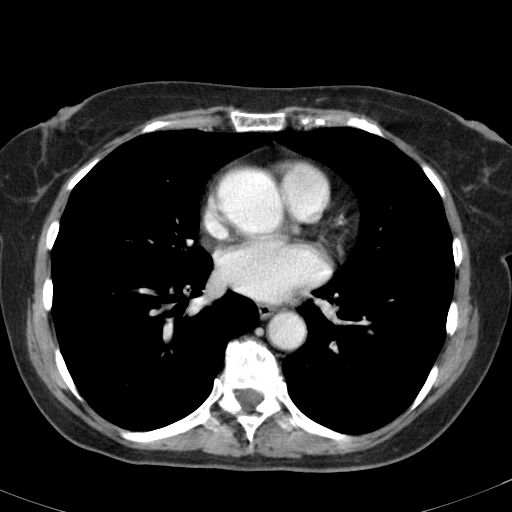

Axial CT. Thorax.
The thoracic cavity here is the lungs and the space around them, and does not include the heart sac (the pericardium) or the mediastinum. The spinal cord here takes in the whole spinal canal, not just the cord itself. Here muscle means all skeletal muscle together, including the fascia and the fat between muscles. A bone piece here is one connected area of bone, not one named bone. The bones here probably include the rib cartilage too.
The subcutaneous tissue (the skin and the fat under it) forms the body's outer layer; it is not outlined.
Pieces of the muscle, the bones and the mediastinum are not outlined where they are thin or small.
{"torso":[[[154,80],[260,87],[383,87],[428,99],[466,119],[482,122],[511,144],[511,255],[506,258],[511,306],[485,377],[433,442],[397,462],[354,471],[176,467],[132,464],[84,449],[63,437],[43,416],[18,373],[0,309],[0,148],[63,106],[110,87]]],"pericardium":[[[266,148],[284,148],[330,168],[350,184],[358,200],[360,210],[356,241],[346,259],[338,266],[330,279],[310,291],[307,295],[292,303],[283,305],[258,303],[226,287],[213,273],[213,259],[202,245],[199,231],[200,210],[207,189],[215,176],[235,160]]],"spinal_cord":[[[244,389],[252,389],[258,392],[260,394],[261,394],[262,396],[262,399],[261,401],[258,404],[257,404],[254,407],[253,410],[251,411],[245,411],[241,406],[240,403],[237,400],[237,398],[236,397],[237,392],[240,390],[243,390]]],"bones":[{"outer":[[236,338],[259,342],[274,355],[291,400],[305,415],[357,438],[339,442],[300,427],[288,431],[272,415],[256,428],[250,453],[243,426],[217,406],[216,430],[200,424],[150,442],[123,438],[118,428],[150,431],[194,411],[211,392],[227,344]],"hole":[[244,389],[252,389],[258,392],[260,394],[261,394],[262,396],[262,399],[261,401],[258,404],[257,404],[254,407],[253,410],[251,411],[245,411],[241,406],[240,403],[237,400],[237,398],[236,397],[237,392],[240,390],[243,390]]},[[228,108],[233,108],[242,112],[249,112],[250,113],[279,112],[286,109],[289,109],[290,111],[286,118],[287,124],[285,128],[282,130],[279,130],[278,131],[243,131],[242,132],[236,132],[234,131],[230,122],[230,120],[227,115],[227,109]],[[299,114],[309,114],[316,116],[320,116],[325,114],[341,114],[345,116],[353,116],[354,117],[365,118],[368,121],[374,123],[383,133],[384,137],[381,137],[363,129],[347,125],[328,125],[327,126],[314,127],[310,129],[305,129],[298,122],[297,116]],[[195,116],[203,116],[204,117],[211,118],[215,121],[216,123],[215,124],[199,125],[197,127],[186,127],[185,128],[175,128],[174,129],[160,129],[147,133],[143,133],[142,134],[140,133],[141,129],[146,124],[155,120],[171,120],[172,119],[194,117]],[[55,346],[58,346],[59,347],[60,352],[62,355],[62,357],[64,360],[66,367],[75,384],[75,386],[78,392],[84,399],[84,402],[81,402],[72,393],[70,389],[67,386],[61,377],[58,371],[58,369],[55,362],[55,357],[54,356],[54,347]],[[434,363],[436,363],[438,365],[438,374],[437,375],[437,377],[435,381],[433,383],[428,393],[420,402],[420,403],[411,411],[406,413],[406,411],[407,409],[413,402],[417,394],[419,392],[422,386],[424,384],[428,376],[428,374],[431,368],[433,366]],[[452,300],[454,300],[457,304],[457,310],[458,311],[458,317],[457,318],[457,322],[458,323],[457,324],[457,327],[455,329],[452,335],[449,336],[446,334],[445,326],[446,325],[446,320],[447,319],[447,314],[448,313],[448,310],[449,309],[449,307]],[[96,157],[99,157],[100,158],[100,160],[73,187],[73,188],[70,191],[68,191],[67,190],[67,185],[68,184],[68,182],[70,180],[70,179],[76,173],[76,172],[81,167],[82,167],[84,165],[87,164],[90,161],[91,161],[94,158],[95,158]],[[48,275],[49,275],[51,278],[51,280],[52,281],[52,287],[53,288],[53,294],[52,295],[52,305],[51,306],[51,310],[49,311],[47,311],[45,309],[43,305],[43,302],[42,301],[42,289],[43,288],[43,283],[44,282],[44,280],[46,276]],[[422,163],[425,163],[428,166],[429,166],[429,167],[431,168],[431,169],[435,173],[435,174],[439,179],[442,185],[442,187],[443,188],[443,190],[445,194],[445,196],[444,198],[441,198],[439,193],[421,168],[420,165]]],"thoracic_cavity":[[[186,128],[263,132],[272,141],[210,174],[197,237],[213,269],[203,293],[185,307],[195,316],[229,289],[255,304],[258,321],[227,342],[222,370],[194,410],[158,428],[129,430],[89,405],[67,367],[51,311],[51,254],[72,190],[102,159],[143,134]],[[328,126],[352,127],[384,138],[411,158],[438,193],[452,236],[453,290],[445,337],[435,360],[404,411],[385,425],[356,435],[305,414],[292,400],[281,367],[309,335],[297,307],[347,259],[358,238],[361,210],[349,182],[329,166],[278,142],[272,132]]],"mediastinum":[[[310,292],[312,297],[308,298],[296,307],[296,310],[305,320],[308,335],[300,347],[283,358],[281,365],[275,355],[263,343],[250,337],[244,339],[238,338],[251,332],[258,324],[258,309],[252,300],[258,304],[266,306],[283,306],[296,302],[307,296]],[[211,272],[212,272],[213,275],[228,289],[222,296],[212,301],[211,304],[206,305],[203,307],[198,313],[189,317],[187,315],[186,312],[186,307],[189,304],[189,301],[191,299],[201,296],[204,293],[205,290],[205,284],[207,281],[207,278]],[[264,132],[271,132],[273,134],[276,141],[278,143],[285,146],[287,148],[291,150],[289,150],[284,147],[266,147],[265,148],[254,150],[247,154],[245,154],[235,159],[260,146],[262,146],[265,144],[272,143],[273,141],[271,139],[271,138],[266,132]],[[233,160],[234,160],[232,162],[221,169],[214,176],[210,184],[206,189],[207,190],[204,195],[204,197],[203,198],[203,200],[202,201],[202,203],[201,204],[201,206],[199,210],[199,215],[199,209],[200,208],[200,207],[200,200],[201,199],[201,196],[205,189],[205,186],[211,174],[216,172],[222,167],[228,164]]],"muscle":[[[293,105],[362,113],[413,146],[436,170],[451,194],[462,225],[469,251],[470,280],[478,306],[477,346],[462,373],[445,393],[390,439],[371,448],[342,455],[264,456],[253,452],[257,428],[272,416],[276,423],[288,432],[300,428],[312,435],[339,443],[349,443],[357,439],[357,435],[373,432],[403,412],[407,414],[416,408],[438,377],[439,365],[435,361],[446,335],[452,336],[458,327],[458,304],[452,298],[454,270],[462,262],[463,249],[460,238],[452,235],[448,223],[442,201],[446,196],[443,185],[429,165],[425,162],[419,165],[386,139],[381,129],[365,117],[341,113],[320,115],[299,113],[296,116],[297,122],[304,129],[286,128],[291,110],[286,108],[274,111]],[[78,168],[67,182],[66,190],[70,193],[60,219],[54,218],[50,222],[46,230],[44,241],[45,248],[48,251],[51,251],[51,273],[50,275],[46,275],[43,280],[41,301],[44,309],[47,312],[51,312],[58,343],[58,345],[53,347],[53,356],[60,377],[71,393],[81,403],[84,403],[85,401],[98,415],[116,426],[118,434],[125,440],[136,443],[150,443],[184,433],[200,425],[208,430],[216,431],[221,425],[220,419],[215,416],[213,410],[217,407],[234,416],[242,426],[247,439],[246,450],[249,454],[236,457],[197,450],[145,450],[127,447],[92,428],[66,408],[52,395],[35,371],[28,357],[25,328],[27,300],[34,285],[36,249],[45,219],[62,185]],[[218,105],[232,105],[246,111],[242,111],[233,107],[228,107],[226,109],[226,115],[233,131],[206,130],[197,128],[199,126],[215,125],[217,123],[211,117],[203,115],[178,117],[171,119],[155,119],[146,123],[140,129],[139,131],[139,133],[141,134],[140,135],[118,145],[103,158],[101,159],[99,156],[96,156],[81,166],[91,158],[104,144],[112,139],[124,134],[150,118],[175,111],[183,111],[197,108],[208,108]]]}